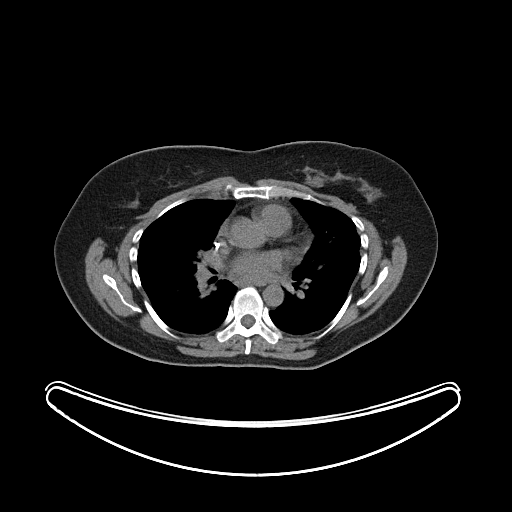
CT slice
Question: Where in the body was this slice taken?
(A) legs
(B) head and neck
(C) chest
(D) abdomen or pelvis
Answer: (C) chest
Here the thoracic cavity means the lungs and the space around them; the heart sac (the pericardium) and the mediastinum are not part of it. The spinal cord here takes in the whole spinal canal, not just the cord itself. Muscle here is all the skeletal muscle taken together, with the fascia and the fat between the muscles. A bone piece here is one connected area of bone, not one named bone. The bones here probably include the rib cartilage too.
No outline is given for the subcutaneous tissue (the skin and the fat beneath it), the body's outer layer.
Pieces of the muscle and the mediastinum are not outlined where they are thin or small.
The muscle is outlined by (221, 176) (232, 176) (250, 185) (263, 178) (293, 181) (353, 204) (359, 214) (374, 225) (382, 241) (390, 241) (396, 235) (403, 239) (407, 261) (399, 283) (373, 313) (342, 330) (309, 358) (282, 359) (250, 353) (251, 338) (254, 335) (259, 335) (274, 345) (284, 337) (284, 333) (305, 335) (327, 325) (312, 338) (318, 340) (328, 333) (350, 304) (353, 297) (350, 288) (356, 275) (365, 272) (369, 238) (357, 215) (348, 216) (308, 192) (277, 184) (243, 186) (228, 182) (222, 190) (225, 196) (229, 193) (229, 197) (191, 199) (189, 196) (182, 196) (165, 206) (147, 227) (139, 227) (133, 233) (128, 258) (132, 263) (136, 262) (136, 268) (132, 266) (130, 269) (132, 282) (137, 289) (142, 288) (145, 292) (148, 299) (142, 300) (143, 305) (161, 330) (178, 340) (180, 337) (171, 328) (195, 335) (214, 331) (214, 337) (220, 343) (237, 334) (244, 338) (244, 354) (230, 357) (188, 355) (165, 339) (151, 337) (124, 326) (103, 309) (87, 285) (84, 259) (90, 242) (95, 237) (100, 237) (107, 244) (108, 255) (113, 258) (114, 248) (139, 221) (134, 217) (147, 212) (163, 197) with holes at (103, 274) (107, 274) (111, 276) (115, 280) (116, 286) (123, 296) (124, 299) (128, 303) (131, 304) (133, 306) (135, 306) (136, 307) (140, 308) (141, 309) (141, 312) (135, 311) (125, 304) (124, 304) (121, 301) (117, 293) (104, 281) (103, 279) and at (385, 266) (387, 266) (388, 267) (388, 272) (384, 280) (379, 285) (377, 289) (375, 290) (374, 292) (363, 303) (359, 305) (357, 305) (356, 303) (357, 301) (360, 298) (362, 298) (364, 297) (373, 288) (373, 287) (376, 283) (377, 276) (379, 272). The spinal cord is outlined by (245, 315) (250, 315) (251, 316) (252, 316) (254, 318) (254, 322) (253, 323) (253, 324) (252, 325) (251, 325) (249, 327) (247, 327) (246, 326) (245, 326) (244, 325) (243, 325) (242, 324) (242, 323) (241, 322) (241, 319). The mediastinum appears in 3 outlined pieces: piece 1: (214, 258) (224, 270) (234, 277) (240, 279) (265, 280) (277, 279) (287, 274) (292, 268) (300, 263) (292, 270) (290, 277) (285, 282) (283, 301) (275, 309) (269, 309) (264, 303) (258, 290) (254, 286) (248, 285) (237, 290) (237, 287) (231, 281) (220, 277) (214, 263); piece 2: (230, 197) (232, 197) (234, 199) (237, 200) (243, 198) (258, 198) (259, 199) (263, 199) (268, 200) (269, 199) (271, 198) (287, 197) (290, 198) (290, 202) (291, 203) (280, 199) (269, 200) (252, 200) (243, 203) (232, 210) (235, 206) (235, 201) (232, 198) (216, 198) (229, 198); piece 3: (298, 212) (303, 218) (303, 219) (306, 222) (306, 223) (308, 225) (311, 232) (313, 234) (313, 238) (312, 239) (312, 240) (312, 234) (310, 232) (310, 230) (308, 228) (308, 227) (306, 225) (306, 224) (304, 222) (303, 219) (300, 216) (300, 215) (298, 213). The torso is outlined by (298, 140) (336, 141) (388, 156) (409, 172) (430, 208) (438, 235) (435, 263) (420, 295) (392, 328) (325, 365) (290, 370) (183, 366) (151, 361) (108, 343) (88, 327) (59, 282) (53, 250) (62, 221) (83, 186) (98, 170) (122, 156) (158, 146) (213, 145) (255, 150). The bones appear in 10 outlined pieces: piece 1: (248, 286) (252, 286) (257, 290) (269, 310) (268, 314) (271, 320) (283, 333) (283, 337) (272, 344) (259, 334) (254, 334) (250, 338) (250, 351) (245, 354) (245, 338) (242, 335) (237, 333) (226, 341) (220, 342) (215, 337) (215, 331) (221, 327) (236, 292), around a hole outlined by (245, 315) (250, 315) (251, 316) (252, 316) (254, 318) (254, 322) (253, 323) (253, 324) (252, 325) (251, 325) (249, 327) (247, 327) (246, 326) (245, 326) (244, 325) (243, 325) (242, 324) (242, 323) (241, 322) (241, 319); piece 2: (228, 183) (230, 183) (233, 186) (242, 186) (243, 187) (244, 186) (277, 185) (292, 188) (308, 193) (327, 204) (325, 205) (308, 199) (287, 196) (271, 197) (268, 199) (258, 197) (243, 197) (237, 199) (234, 198) (229, 192) (226, 195) (224, 194) (223, 190) (224, 187); piece 3: (351, 215) (355, 215) (360, 219) (364, 226) (364, 232) (367, 235) (368, 238) (368, 244) (367, 248) (365, 250) (367, 253) (367, 263) (364, 272) (362, 274) (358, 273) (358, 269) (360, 264) (361, 255) (365, 250) (361, 247) (360, 232) (351, 219) (350, 217); piece 4: (349, 292) (351, 292) (352, 293) (352, 297) (344, 313) (342, 315) (338, 322) (323, 336) (322, 336) (318, 339) (314, 339) (313, 338) (314, 336) (319, 334) (328, 326) (330, 321) (336, 315) (336, 314) (339, 311) (339, 310) (343, 305) (345, 300) (347, 298) (347, 296); piece 5: (144, 299) (148, 300) (149, 303) (151, 305) (155, 312) (159, 316) (159, 317) (168, 326) (169, 326) (170, 330) (174, 334) (177, 335) (179, 337) (178, 339) (169, 335) (157, 325) (157, 324) (154, 321) (154, 320) (151, 317) (151, 316) (147, 311) (143, 302) (143, 300); piece 6: (103, 274) (107, 274) (111, 276) (115, 280) (116, 286) (123, 296) (124, 299) (128, 303) (131, 304) (133, 306) (135, 306) (136, 307) (140, 308) (141, 309) (141, 312) (135, 311) (125, 304) (124, 304) (121, 301) (117, 293) (104, 281) (103, 279); piece 7: (385, 266) (387, 266) (388, 267) (388, 272) (384, 280) (379, 285) (377, 289) (375, 290) (374, 292) (363, 303) (359, 305) (357, 305) (356, 303) (357, 301) (360, 298) (362, 298) (364, 297) (373, 288) (373, 287) (376, 283) (377, 276) (379, 272); piece 8: (139, 228) (143, 228) (144, 230) (142, 232) (138, 242) (137, 242) (134, 245) (137, 248) (137, 258) (136, 259) (136, 261) (133, 261) (132, 262) (129, 258) (129, 250) (130, 248) (134, 244) (132, 241) (132, 238) (133, 237) (133, 235) (134, 233); piece 9: (182, 197) (189, 197) (190, 198) (190, 199) (189, 199) (182, 203) (180, 203) (179, 204) (178, 204) (177, 205) (176, 205) (175, 206) (170, 208) (164, 213) (163, 213) (159, 217) (156, 218) (156, 216) (165, 207) (166, 207) (172, 202) (173, 202) (174, 201) (175, 201); piece 10: (132, 267) (134, 267) (137, 270) (137, 272) (139, 275) (139, 278) (140, 279) (140, 281) (141, 282) (141, 287) (140, 288) (137, 288) (135, 286) (135, 285) (133, 282) (133, 280) (132, 279) (132, 275) (131, 274) (131, 269) (132, 268). The thoracic cavity appears in 2 outlined pieces: piece 1: (199, 198) (232, 199) (234, 201) (234, 206) (220, 225) (210, 250) (219, 277) (231, 282) (236, 287) (236, 291) (220, 327) (206, 333) (195, 334) (185, 333) (170, 327) (156, 312) (142, 287) (137, 269) (137, 259) (138, 243) (141, 236) (154, 220) (180, 204); piece 2: (291, 198) (299, 198) (327, 205) (345, 214) (353, 222) (360, 240) (360, 259) (357, 273) (342, 305) (325, 326) (305, 334) (283, 332) (274, 323) (269, 314) (270, 310) (275, 310) (284, 301) (286, 282) (291, 277) (293, 270) (303, 260) (314, 238) (309, 225) (292, 204). The pericardium is outlined by (270, 200) (280, 200) (291, 204) (309, 230) (309, 232) (311, 234) (311, 241) (300, 261) (292, 267) (287, 273) (280, 277) (273, 279) (240, 278) (236, 277) (224, 269) (213, 255) (216, 236) (218, 234) (222, 224) (228, 218) (232, 211) (241, 205) (252, 201) (269, 201).